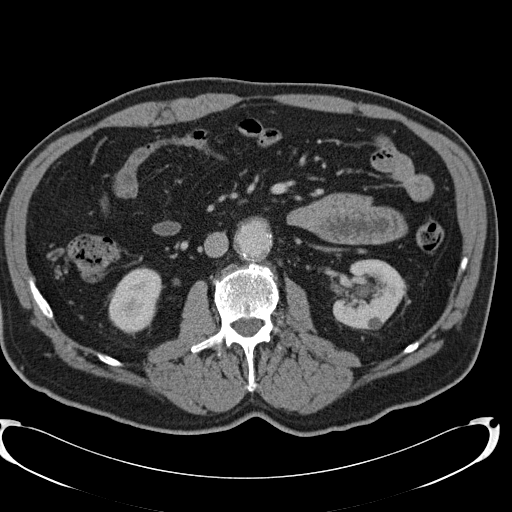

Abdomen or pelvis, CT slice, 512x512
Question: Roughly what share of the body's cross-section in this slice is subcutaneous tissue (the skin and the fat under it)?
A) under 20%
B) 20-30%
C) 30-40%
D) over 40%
Answer: A) under 20%
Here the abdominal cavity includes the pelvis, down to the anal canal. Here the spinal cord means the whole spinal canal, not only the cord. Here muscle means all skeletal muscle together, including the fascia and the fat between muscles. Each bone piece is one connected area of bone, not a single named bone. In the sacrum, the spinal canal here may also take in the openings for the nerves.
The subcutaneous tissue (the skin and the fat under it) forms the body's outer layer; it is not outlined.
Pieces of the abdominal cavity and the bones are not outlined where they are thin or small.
The abdominal cavity is outlined by (254, 99) (394, 120) (435, 150) (461, 234) (439, 318) (397, 353) (363, 364) (317, 334) (299, 284) (285, 276) (283, 298) (272, 270) (250, 262) (213, 280) (212, 301) (196, 280) (177, 337) (140, 363) (66, 334) (26, 255) (29, 203) (50, 165) (101, 128) (187, 122). The muscle is outlined by (205, 93) (227, 93) (228, 94) (234, 94) (238, 96) (276, 95) (277, 94) (290, 94) (291, 93) (293, 94) (299, 94) (300, 93) (301, 94) (321, 94) (322, 95) (337, 96) (354, 102) (375, 104) (394, 110) (434, 131) (441, 133) (459, 145) (466, 152) (476, 168) (476, 171) (480, 179) (483, 190) (486, 207) (486, 220) (487, 221) (486, 222) (486, 236) (481, 259) (479, 278) (474, 290) (471, 302) (464, 317) (459, 323) (454, 325) (448, 331) (444, 338) (443, 345) (436, 353) (405, 370) (376, 378) (364, 385) (351, 391) (348, 391) (341, 397) (336, 399) (328, 405) (312, 413) (300, 414) (276, 408) (270, 405) (258, 394) (255, 393) (252, 395) (247, 394) (235, 406) (222, 413) (210, 415) (200, 415) (190, 413) (155, 395) (150, 394) (142, 387) (114, 381) (109, 378) (98, 376) (79, 369) (76, 369) (68, 365) (54, 354) (54, 349) (50, 338) (31, 323) (31, 320) (21, 305) (18, 297) (15, 293) (6, 260) (6, 254) (4, 246) (5, 218) (11, 197) (23, 172) (38, 154) (56, 139) (71, 132) (93, 125) (113, 113) (142, 102) (168, 101) (182, 97) (193, 98) with a hole at (254, 99) (394, 120) (435, 150) (468, 259) (441, 315) (413, 351) (363, 364) (317, 334) (306, 291) (285, 276) (279, 332) (254, 349) (250, 392) (240, 345) (191, 351) (221, 326) (198, 279) (177, 337) (140, 363) (101, 361) (30, 291) (36, 187) (98, 129) (187, 122). The spinal cord is outlined by (241, 318) (244, 318) (245, 319) (249, 319) (250, 318) (255, 318) (256, 319) (259, 319) (262, 322) (262, 325) (260, 327) (260, 328) (254, 334) (252, 335) (250, 335) (249, 336) (245, 336) (237, 332) (233, 328) (232, 326) (232, 324) (234, 322) (235, 322) (237, 320). The torso is outlined by (205, 76) (332, 83) (383, 93) (434, 115) (467, 142) (490, 182) (499, 239) (483, 340) (473, 366) (459, 382) (421, 404) (344, 431) (304, 437) (251, 417) (223, 431) (177, 435) (65, 405) (14, 372) (0, 347) (0, 192) (8, 177) (40, 140) (83, 112) (140, 86). The bones appear in 4 outlined pieces: piece 1: (250, 263) (271, 270) (280, 296) (271, 314) (279, 332) (272, 331) (270, 340) (259, 343) (253, 352) (257, 386) (252, 392) (245, 387) (248, 366) (240, 345) (227, 347) (223, 343) (220, 355) (216, 345) (191, 351) (192, 345) (215, 334) (221, 326) (213, 301) (214, 280); inner edge: (241, 318) (244, 318) (245, 319) (249, 319) (250, 318) (255, 318) (256, 319) (259, 319) (262, 322) (262, 325) (260, 327) (260, 328) (254, 334) (252, 335) (250, 335) (249, 336) (245, 336) (237, 332) (233, 328) (232, 326) (232, 324) (234, 322) (235, 322) (237, 320); piece 2: (29, 277) (32, 277) (36, 286) (41, 292) (45, 299) (48, 302) (52, 310) (52, 312) (53, 313) (53, 318) (52, 319) (49, 319) (43, 314) (43, 313) (39, 308) (38, 305) (34, 300) (33, 296) (30, 291) (30, 288) (29, 287) (29, 284) (28, 283) (28, 278); piece 3: (96, 351) (98, 351) (99, 352) (101, 352) (104, 354) (106, 354) (107, 355) (108, 355) (109, 356) (110, 356) (111, 357) (120, 361) (122, 363) (122, 365) (121, 366) (112, 366) (111, 365) (109, 365) (108, 364) (101, 361) (97, 357) (97, 356) (95, 353) (95, 352); piece 4: (419, 339) (419, 340) (420, 341) (420, 343) (419, 344) (418, 347) (416, 349) (415, 349) (413, 351) (412, 351) (409, 353) (406, 353) (405, 354) (402, 353) (402, 350) (406, 346) (407, 346) (409, 344) (410, 344) (411, 343) (414, 342) (416, 340) (418, 340).